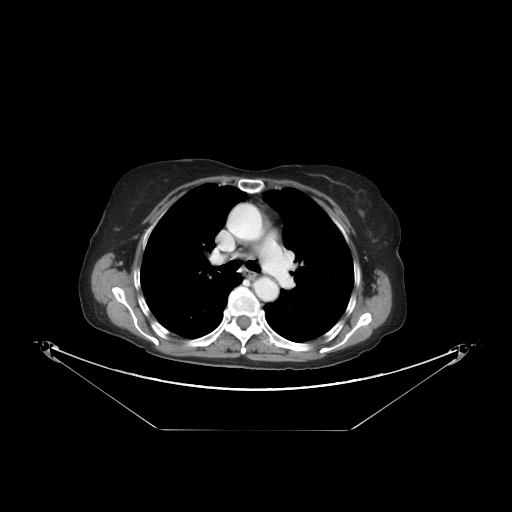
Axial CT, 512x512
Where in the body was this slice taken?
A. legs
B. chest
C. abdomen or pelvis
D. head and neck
B. chest
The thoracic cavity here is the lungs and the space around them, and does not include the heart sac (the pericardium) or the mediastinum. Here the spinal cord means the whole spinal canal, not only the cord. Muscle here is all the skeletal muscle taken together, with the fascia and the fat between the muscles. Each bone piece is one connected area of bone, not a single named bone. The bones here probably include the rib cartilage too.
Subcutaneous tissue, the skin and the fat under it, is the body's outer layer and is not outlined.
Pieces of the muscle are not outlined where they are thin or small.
The thoracic cavity appears in 2 outlined pieces: piece 1: 206 183; 227 183; 236 186; 246 193; 245 198; 229 210; 222 227; 214 238; 215 248; 220 258; 234 272; 239 273; 242 279; 228 293; 220 322; 203 335; 186 338; 169 330; 152 313; 141 288; 141 266; 148 239; 166 211; 188 191; piece 2: 277 187; 295 188; 316 202; 340 231; 349 248; 352 259; 353 287; 344 312; 322 335; 308 341; 294 341; 279 334; 267 321; 263 308; 266 304; 274 302; 279 297; 281 280; 288 264; 287 250; 282 237; 283 219; 263 199; 264 192. The torso is outlined by 188 157; 210 158; 250 170; 284 163; 325 163; 348 168; 372 180; 400 222; 398 252; 404 265; 407 297; 403 325; 385 336; 375 348; 355 359; 303 371; 211 367; 167 360; 94 328; 82 314; 78 276; 90 237; 114 183; 135 166. The muscle appears in 3 outlined pieces: piece 1: 143 233; 141 265; 132 270; 134 288; 142 292; 137 296; 137 303; 146 317; 151 312; 154 316; 149 325; 159 337; 168 340; 171 332; 174 333; 185 338; 184 345; 189 348; 208 346; 225 332; 240 342; 242 355; 246 353; 246 343; 253 335; 268 346; 295 352; 310 351; 313 344; 309 341; 322 336; 327 343; 342 329; 345 321; 340 318; 344 313; 348 316; 356 305; 356 295; 352 291; 354 286; 357 288; 360 285; 361 268; 367 292; 374 280; 375 269; 387 274; 392 289; 391 310; 385 321; 367 339; 313 360; 261 361; 242 355; 199 357; 166 354; 111 322; 91 290; 90 277; 95 262; 103 254; 112 252; 128 271 with holes at 115 286; 120 287; 123 290; 125 295; 125 299; 131 307; 136 317; 136 321; 138 326; 147 334; 155 337; 158 340; 159 343; 158 345; 156 345; 152 341; 144 336; 135 327; 133 319; 128 309; 121 302; 116 299; 112 292; 112 288 and at 365 312; 369 312; 371 314; 371 320; 369 323; 366 325; 362 325; 360 326; 343 344; 338 346; 332 350; 325 351; 324 352; 319 352; 319 349; 322 347; 329 347; 340 342; 344 338; 345 335; 356 324; 358 321; 359 317; piece 2: 262 177; 294 180; 313 187; 329 196; 340 207; 354 229; 355 234; 352 234; 351 238; 358 253; 360 267; 357 261; 352 258; 348 245; 350 240; 345 229; 334 216; 329 215; 305 192; 291 186; 266 187; 265 183; 260 178; piece 3: 216 175; 237 175; 243 177; 239 178; 237 180; 235 185; 232 185; 227 182; 206 182; 197 185; 180 196; 148 226; 147 223; 146 224; 142 223; 142 221; 150 213; 154 207; 169 192; 176 187; 189 181; 192 181; 203 177; 215 176. The bones appear in 12 outlined pieces: piece 1: 243 282; 259 301; 266 321; 275 332; 294 342; 309 342; 312 348; 295 351; 274 344; 268 345; 253 334; 245 343; 245 353; 242 354; 241 342; 233 334; 225 331; 208 345; 196 347; 185 345; 187 339; 203 336; 221 322; 229 293; inner edge: 243 315; 244 316; 246 316; 247 317; 248 317; 250 319; 250 324; 246 328; 242 328; 241 327; 240 327; 237 324; 237 318; 239 316; 242 316; piece 2: 115 286; 120 287; 123 290; 125 295; 125 299; 131 307; 136 317; 136 321; 138 326; 147 334; 155 337; 158 340; 159 343; 158 345; 156 345; 152 341; 144 336; 135 327; 133 319; 128 309; 121 302; 116 299; 112 292; 112 288; piece 3: 365 312; 369 312; 371 314; 371 320; 369 323; 366 325; 362 325; 360 326; 343 344; 338 346; 332 350; 325 351; 324 352; 319 352; 319 349; 322 347; 329 347; 340 342; 344 338; 345 335; 356 324; 358 321; 359 317; piece 4: 241 178; 259 178; 264 183; 264 184; 265 185; 265 188; 259 192; 256 192; 255 193; 247 193; 245 191; 243 191; 242 190; 241 190; 236 185; 237 184; 237 182; 238 181; 238 180; piece 5: 341 319; 342 319; 344 321; 344 322; 343 323; 343 325; 342 326; 341 329; 338 332; 338 333; 331 340; 330 340; 327 342; 325 342; 324 341; 324 337; 323 336; 323 334; 324 333; 325 333; 327 331; 328 331; 339 320; 340 320; piece 6: 154 319; 156 320; 161 325; 162 325; 165 328; 166 328; 169 331; 170 331; 170 333; 168 335; 169 337; 168 339; 165 339; 159 336; 153 330; 153 329; 150 325; 150 322; 151 320; 153 320; piece 7: 163 212; 165 212; 158 220; 157 223; 152 229; 147 239; 147 241; 145 245; 145 248; 143 250; 142 249; 142 238; 143 237; 143 235; 145 231; 147 229; 147 228; 151 224; 152 224; 153 222; piece 8: 353 260; 354 261; 356 261; 356 262; 359 265; 359 267; 360 268; 360 282; 359 283; 359 285; 357 287; 356 287; 354 285; 354 269; 353 268; piece 9: 139 295; 142 295; 144 297; 144 298; 145 299; 145 301; 146 302; 146 303; 147 304; 147 305; 150 310; 150 313; 148 316; 146 316; 144 314; 144 313; 142 311; 142 310; 141 309; 141 308; 138 303; 138 296; piece 10: 136 267; 139 267; 140 268; 140 273; 139 274; 139 280; 140 281; 140 289; 139 289; 138 290; 137 290; 135 288; 135 286; 134 285; 134 281; 133 280; 133 270; 134 269; 134 268; 135 268; piece 11: 351 294; 354 294; 355 295; 355 298; 356 299; 356 301; 355 302; 355 305; 354 306; 352 311; 348 315; 346 315; 346 314; 345 313; 345 310; 346 309; 346 307; 348 304; 348 302; 349 301; 349 299; 350 298; 350 296; 351 295; piece 12: 330 216; 332 216; 333 217; 334 217; 340 223; 340 224; 344 229; 344 230; 348 237; 348 239; 349 240; 349 243; 348 244; 347 243; 347 242; 346 241; 344 236; 342 234; 341 231; 338 228; 338 227; 335 224; 335 223; 331 219. The spinal cord is outlined by 243 315; 244 316; 246 316; 247 317; 248 317; 250 319; 250 324; 246 328; 242 328; 241 327; 240 327; 237 324; 237 318; 239 316; 242 316. The mediastinum is outlined by 266 188; 271 188; 263 192; 262 199; 282 219; 281 237; 286 250; 287 264; 280 280; 278 297; 262 307; 258 298; 242 282; 242 275; 234 271; 221 258; 216 248; 215 238; 223 227; 228 213; 236 204; 244 200; 247 194; 259 193.